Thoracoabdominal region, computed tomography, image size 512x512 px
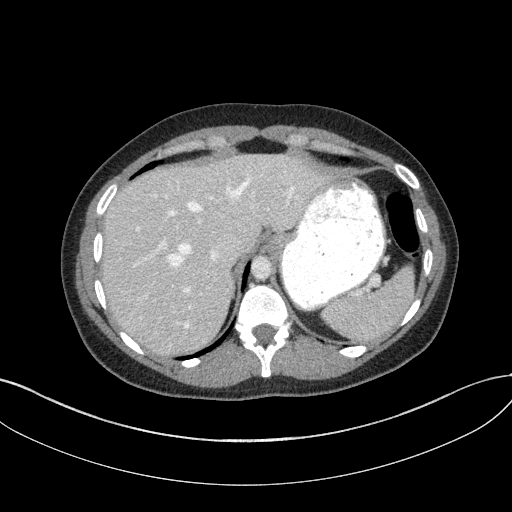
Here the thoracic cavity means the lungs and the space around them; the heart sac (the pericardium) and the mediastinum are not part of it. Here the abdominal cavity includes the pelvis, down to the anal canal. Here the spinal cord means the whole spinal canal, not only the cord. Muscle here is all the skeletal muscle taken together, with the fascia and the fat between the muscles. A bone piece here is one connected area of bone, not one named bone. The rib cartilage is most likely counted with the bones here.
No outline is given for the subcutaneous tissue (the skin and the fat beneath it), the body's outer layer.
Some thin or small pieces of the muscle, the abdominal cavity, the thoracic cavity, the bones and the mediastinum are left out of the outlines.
{"bones":[{"outer":[[262,377],[269,377],[271,375],[269,367],[271,358],[274,353],[286,343],[289,336],[288,329],[291,325],[291,321],[285,303],[277,291],[268,285],[250,284],[249,288],[243,294],[233,328],[239,333],[238,337],[243,347],[253,351],[259,358],[261,362]],"hole":[[262,344],[266,344],[270,342],[272,340],[272,337],[275,333],[275,328],[267,324],[261,324],[253,328],[253,330],[252,331],[254,335],[257,338],[258,340],[258,342]]},[[154,160],[160,159],[184,151],[201,149],[206,146],[209,148],[216,148],[217,147],[224,147],[226,145],[227,146],[229,145],[229,144],[223,136],[221,135],[212,135],[204,140],[202,139],[194,139],[183,143],[178,143],[160,149],[158,151]],[[350,156],[355,155],[355,153],[353,150],[347,147],[336,145],[328,142],[322,142],[317,139],[311,140],[306,135],[300,133],[291,133],[289,134],[284,143],[296,146],[303,146],[308,144],[310,146],[310,148],[313,149]],[[414,189],[419,189],[420,188],[420,185],[419,184],[419,182],[416,176],[413,173],[413,172],[405,165],[399,162],[395,162],[393,163],[392,166],[395,171],[395,173],[396,175],[397,175],[398,177],[399,177],[407,185],[408,185],[410,187]],[[99,216],[103,214],[109,202],[111,200],[111,199],[115,194],[115,192],[117,190],[117,188],[118,186],[115,182],[112,183],[105,190],[105,191],[102,194],[101,197],[98,201],[98,203],[96,207],[96,214]],[[349,357],[356,357],[357,356],[359,356],[361,355],[365,351],[366,351],[367,348],[365,344],[360,344],[359,345],[355,345],[354,346],[347,346],[346,347],[343,347],[341,348],[338,351],[339,353],[345,356],[348,356]],[[140,354],[144,354],[144,351],[139,346],[139,345],[135,341],[134,341],[125,332],[124,332],[123,331],[120,330],[119,331],[119,335],[121,337],[122,340],[130,348],[131,348],[133,350],[134,350],[136,352],[137,352]],[[96,262],[98,262],[99,261],[99,260],[100,259],[100,256],[101,255],[101,245],[102,244],[102,239],[101,238],[101,233],[100,232],[97,232],[96,233],[96,234],[95,235],[95,237],[93,240],[93,256],[94,257],[94,259]],[[399,325],[403,325],[406,322],[407,322],[413,316],[413,315],[416,312],[416,311],[419,307],[419,305],[420,304],[420,302],[421,301],[421,300],[419,298],[416,298],[414,300],[414,301],[412,303],[412,304],[404,315],[404,316],[401,320]],[[104,309],[106,309],[106,303],[105,302],[105,296],[103,292],[103,288],[101,285],[101,282],[100,280],[99,279],[96,279],[94,282],[94,287],[95,288],[95,292],[96,293],[96,295],[97,296],[97,298],[99,302],[101,304],[102,307]],[[425,275],[427,275],[429,273],[429,271],[430,270],[430,269],[431,268],[431,264],[432,263],[432,252],[431,251],[431,250],[429,248],[427,248],[425,250],[425,251],[424,252],[424,257],[423,258],[423,273]],[[424,233],[425,233],[427,231],[427,225],[426,224],[426,222],[425,221],[424,216],[423,215],[421,210],[419,208],[415,208],[415,209],[414,210],[414,212],[415,213],[415,217],[416,218],[416,221],[417,222],[417,225],[418,226],[420,231],[421,231]]],"muscle":[[[214,388],[260,377],[258,358],[242,347],[236,331],[232,329],[217,347],[202,355],[198,365],[185,368],[173,358],[145,350],[140,355],[130,349],[118,335],[120,329],[107,308],[104,310],[98,302],[93,282],[99,278],[99,263],[92,256],[92,240],[101,231],[103,215],[97,216],[95,207],[104,190],[114,181],[119,187],[153,160],[160,148],[212,134],[223,135],[232,145],[255,136],[284,142],[289,133],[300,132],[311,139],[347,146],[354,150],[355,157],[373,161],[394,173],[391,165],[397,161],[317,127],[275,124],[260,129],[251,125],[220,125],[193,130],[156,146],[99,189],[82,219],[75,261],[75,287],[84,312],[116,346],[138,362],[177,381]],[[304,380],[336,377],[353,370],[399,339],[428,308],[445,270],[447,246],[444,227],[418,178],[421,188],[414,190],[408,186],[408,189],[414,206],[422,210],[428,225],[428,231],[421,232],[424,250],[429,247],[433,252],[430,273],[421,275],[416,296],[422,300],[419,309],[403,326],[398,324],[384,336],[366,344],[367,351],[356,358],[339,354],[337,351],[342,346],[316,338],[290,316],[290,336],[272,358],[271,376]]],"mediastinum":[[[244,291],[248,288],[250,283],[268,284],[275,289],[273,286],[272,280],[273,274],[275,273],[274,272],[275,271],[275,262],[269,252],[260,250],[254,254],[252,254],[248,258],[248,261],[246,262],[246,264],[248,262],[250,264],[250,270]]],"thoracic_cavity":[[[179,360],[181,360],[185,358],[195,357],[196,356],[197,357],[199,357],[202,354],[211,350],[213,348],[217,346],[230,332],[232,328],[233,322],[232,322],[225,333],[213,344],[198,352],[196,352],[192,355],[180,356],[177,358],[175,358]],[[132,177],[134,175],[135,175],[138,173],[140,173],[142,171],[144,171],[146,169],[148,169],[151,167],[153,167],[153,166],[156,164],[156,162],[157,161],[152,161],[151,162],[150,162],[149,163],[144,165],[141,168],[140,168],[134,175],[132,175]]],"abdominal_cavity":[[[174,358],[192,354],[224,333],[237,314],[245,262],[260,249],[272,254],[274,286],[306,331],[340,345],[367,343],[387,333],[415,298],[422,271],[424,251],[407,186],[375,164],[261,137],[176,154],[130,176],[104,213],[100,279],[120,328],[143,349]]],"torso":[[[216,401],[339,392],[401,367],[426,349],[437,335],[458,267],[456,228],[423,165],[402,144],[373,124],[344,110],[310,103],[206,104],[169,115],[134,136],[93,172],[78,193],[62,235],[60,275],[69,312],[86,349],[107,371],[135,387],[172,398]]],"spinal_cord":[[[262,344],[266,344],[270,342],[272,340],[272,337],[275,333],[275,328],[267,324],[261,324],[253,328],[253,330],[252,331],[254,335],[257,338],[258,340],[258,342]]]}